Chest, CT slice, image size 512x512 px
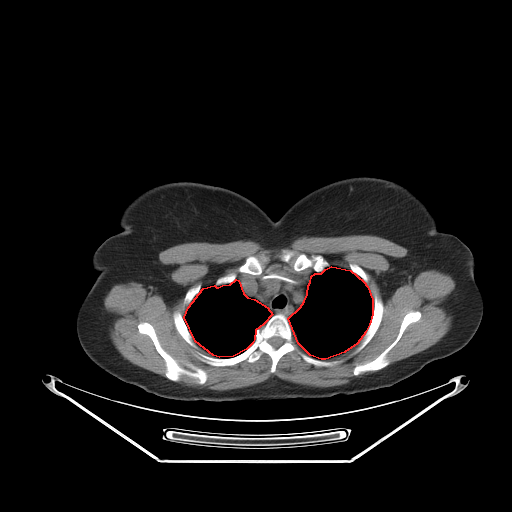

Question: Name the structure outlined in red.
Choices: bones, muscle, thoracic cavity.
Answer: red: thoracic cavity.
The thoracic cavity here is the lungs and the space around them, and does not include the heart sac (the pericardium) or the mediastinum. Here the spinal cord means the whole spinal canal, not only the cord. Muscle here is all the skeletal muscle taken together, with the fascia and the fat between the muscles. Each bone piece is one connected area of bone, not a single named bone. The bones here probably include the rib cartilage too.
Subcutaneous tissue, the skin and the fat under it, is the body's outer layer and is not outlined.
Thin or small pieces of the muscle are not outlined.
Outlines (x, y in pixels):
thoracic cavity 1: (331, 266) (350, 270) (363, 281) (367, 286) (372, 299) (372, 314) (369, 324) (365, 332) (357, 343) (344, 352) (325, 359) (321, 359) (310, 355) (298, 343) (288, 318) (300, 307) (304, 301) (307, 294) (308, 285) (310, 282) (311, 276) (315, 273) (321, 273) (325, 269)
thoracic cavity 2: (236, 279) (238, 280) (243, 293) (247, 297) (254, 299) (267, 307) (272, 314) (263, 324) (255, 330) (254, 339) (252, 343) (246, 349) (233, 356) (219, 357) (213, 355) (195, 341) (184, 317) (188, 307) (203, 288) (214, 285) (216, 287) (218, 287) (222, 285) (230, 284)
spinal cord: (274, 336) (278, 336) (279, 337) (280, 337) (281, 338) (282, 338) (284, 340) (284, 341) (283, 342) (283, 343) (281, 345) (280, 345) (278, 347) (277, 347) (276, 348) (275, 347) (274, 347) (270, 343) (269, 343) (269, 342) (268, 341) (268, 340) (270, 338) (271, 338)
mediastinum: (309, 268) (311, 268) (315, 272) (310, 276) (305, 297) (299, 307) (288, 317) (283, 313) (279, 312) (273, 314) (267, 306) (256, 299) (247, 296) (244, 293) (238, 279) (238, 278) (246, 276) (257, 277) (272, 270) (280, 270) (281, 269) (282, 271) (286, 272) (299, 273)
muscle: (354, 234) (379, 236) (408, 250) (407, 255) (393, 260) (394, 269) (392, 271) (388, 271) (377, 278) (384, 298) (389, 297) (413, 272) (436, 269) (451, 275) (455, 281) (455, 289) (449, 298) (454, 314) (454, 323) (449, 331) (434, 345) (389, 366) (388, 353) (398, 343) (407, 327) (422, 317) (422, 313) (416, 309) (409, 310) (403, 316) (395, 338) (379, 354) (370, 360) (357, 363) (353, 367) (352, 374) (354, 376) (364, 372) (373, 372) (360, 376) (346, 384) (329, 387) (307, 386) (276, 376) (253, 385) (228, 390) (187, 386) (176, 382) (181, 376) (194, 378) (199, 385) (203, 385) (208, 379) (207, 372) (189, 361) (186, 365) (192, 370) (181, 366) (178, 360) (161, 345) (155, 328) (148, 321) (140, 321) (137, 324) (137, 330) (140, 334) (150, 338) (155, 350) (163, 359) (165, 377) (124, 359) (109, 338) (109, 322) (103, 301) (113, 285) (135, 281) (151, 286) (153, 292) (159, 294) (168, 304) (176, 296) (177, 286) (168, 276) (171, 268) (162, 264) (158, 258) (160, 251) (171, 246) (185, 242) (225, 243) (236, 240) (251, 240) (265, 248) (282, 248) (302, 236) (332, 237), around a hole outlined by (283, 249) (321, 255) (343, 269) (356, 264) (366, 273) (371, 298) (377, 295) (383, 303) (371, 339) (356, 353) (356, 343) (326, 358) (340, 361) (331, 366) (311, 364) (297, 351) (284, 354) (274, 372) (266, 353) (254, 362) (227, 366) (200, 360) (197, 352) (212, 354) (191, 346) (173, 320) (175, 310) (186, 314) (188, 289) (198, 283) (202, 289) (213, 286) (252, 255) (268, 256) (262, 262) (263, 274) (281, 269) (294, 273) (292, 262) (278, 256)
bones 1: (279, 313) (287, 317) (300, 351) (316, 359) (339, 360) (337, 364) (316, 366) (305, 361) (297, 351) (291, 351) (279, 359) (271, 372) (272, 360) (266, 353) (254, 362) (243, 360) (227, 366) (213, 366) (197, 356) (201, 352) (229, 358) (242, 353) (253, 343) (256, 330); inner edge: (274, 336) (278, 336) (279, 337) (280, 337) (281, 338) (282, 338) (284, 340) (284, 341) (283, 342) (283, 343) (281, 345) (280, 345) (278, 347) (277, 347) (276, 348) (275, 347) (274, 347) (270, 343) (269, 343) (269, 342) (268, 341) (268, 340) (270, 338) (271, 338)
bones 2: (140, 322) (148, 322) (152, 325) (160, 345) (177, 360) (181, 367) (192, 371) (187, 365) (189, 362) (204, 370) (207, 374) (206, 381) (199, 384) (196, 378) (185, 374) (181, 375) (177, 381) (167, 378) (165, 376) (165, 361) (156, 350) (151, 338) (139, 332) (138, 324)
bones 3: (412, 310) (419, 311) (421, 313) (421, 317) (417, 321) (410, 323) (406, 327) (397, 343) (387, 353) (386, 357) (389, 360) (389, 364) (379, 370) (364, 371) (357, 375) (354, 375) (353, 374) (353, 369) (357, 364) (367, 362) (374, 359) (396, 338) (404, 316) (409, 311)
bones 4: (283, 249) (293, 250) (297, 253) (304, 253) (309, 257) (313, 255) (321, 255) (329, 263) (330, 266) (325, 268) (321, 272) (316, 272) (311, 267) (306, 268) (299, 272) (297, 272) (293, 269) (292, 267) (292, 262) (291, 261) (285, 262) (282, 261) (279, 258) (278, 256)
bones 5: (252, 255) (259, 258) (265, 255) (268, 256) (269, 258) (267, 261) (262, 262) (263, 267) (262, 273) (260, 275) (237, 272) (236, 278) (232, 282) (218, 286) (215, 285) (216, 280) (220, 276) (225, 275) (230, 272) (236, 272) (238, 268) (245, 261) (246, 258)
bones 6: (374, 295) (377, 295) (379, 296) (383, 303) (383, 313) (382, 314) (382, 317) (381, 318) (380, 324) (371, 339) (365, 345) (365, 346) (358, 352) (356, 353) (353, 353) (356, 349) (360, 340) (366, 332) (370, 324) (370, 322) (372, 318) (372, 315) (373, 314) (373, 296)
bones 7: (175, 310) (178, 310) (182, 314) (182, 316) (188, 328) (188, 330) (191, 334) (194, 341) (197, 344) (198, 346) (197, 348) (195, 348) (191, 346) (181, 336) (181, 335) (177, 331) (175, 327) (175, 325) (174, 324) (174, 321) (173, 320) (173, 313)
bones 8: (198, 283) (200, 283) (201, 284) (201, 289) (199, 291) (199, 292) (193, 298) (193, 299) (191, 301) (190, 304) (186, 308) (184, 306) (184, 304) (183, 303) (183, 302) (184, 301) (184, 297) (186, 294) (186, 292) (189, 288) (190, 288) (192, 286) (193, 286)
bones 9: (350, 263) (352, 263) (353, 264) (356, 264) (358, 266) (359, 266) (366, 273) (366, 274) (367, 275) (367, 276) (368, 277) (368, 283) (367, 284) (366, 284) (364, 282) (364, 281) (359, 276) (358, 276) (356, 274) (355, 274) (349, 268) (349, 264)
torso: (354, 176) (404, 186) (425, 204) (440, 231) (470, 249) (484, 307) (476, 332) (461, 349) (370, 391) (235, 401) (147, 392) (108, 373) (83, 350) (76, 316) (98, 276) (92, 256) (122, 230) (123, 209) (144, 190) (172, 181) (221, 186) (247, 197) (275, 221) (312, 190)